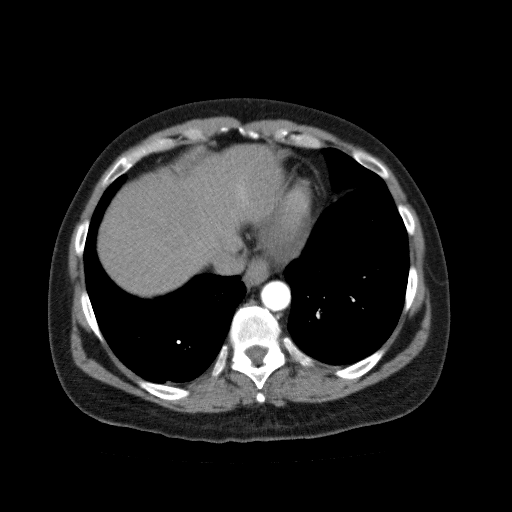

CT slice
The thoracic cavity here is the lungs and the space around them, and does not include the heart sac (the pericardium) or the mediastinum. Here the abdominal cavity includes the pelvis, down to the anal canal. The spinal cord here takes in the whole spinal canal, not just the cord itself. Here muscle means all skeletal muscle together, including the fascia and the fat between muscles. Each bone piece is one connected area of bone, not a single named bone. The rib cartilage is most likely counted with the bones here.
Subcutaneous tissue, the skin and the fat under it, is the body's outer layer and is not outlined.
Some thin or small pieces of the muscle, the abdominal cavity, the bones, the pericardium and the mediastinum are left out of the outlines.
Outlined structures:
torso: 226,97 289,101 349,120 387,146 417,184 435,220 445,256 450,331 437,384 413,411 384,423 310,439 211,443 170,438 98,421 81,411 64,392 49,347 48,280 56,236 80,183 102,150 139,120 179,104
abdominal cavity: 230,130 254,140 260,137 279,142 289,151 276,191 251,220 249,231 239,245 210,259 202,273 181,287 152,299 124,291 106,273 96,252 98,228 113,196 131,176 173,159 178,152 177,146 203,141
mediastinum 1: 243,240 275,264 287,265 283,271 291,294 290,312 286,324 287,333 283,333 278,319 263,306 245,304 235,311 246,293 246,287 238,274 222,275 213,272 203,273 204,268 210,260 222,252 230,251 238,247
mediastinum 2: 284,144 290,144 293,146 310,149 321,148 321,152 325,158 328,168 329,180 331,187 338,192 342,192 342,194 320,214 312,229 316,217 326,201 326,190 318,170 307,159 305,159 299,154 291,152 286,148
mediastinum 3: 176,147 177,149 177,152 173,158 163,163 160,163 157,165 152,166 147,169 144,169 143,170 138,171 128,177 126,180 126,178 127,177 126,173 138,161 139,161 142,158 152,153 163,152 164,151 171,150
spinal cord: 256,345 257,346 260,346 266,349 266,352 264,356 262,358 261,360 261,363 260,364 254,364 252,360 247,355 246,353 246,351 250,347 252,346 255,346
muscle 1: 214,116 231,116 243,123 262,119 287,119 299,124 321,128 365,150 354,149 350,155 335,147 325,146 321,139 312,134 290,132 285,127 277,128 272,134 273,139 261,137 257,131 246,129 241,125 237,127 237,130 222,125 219,128 219,132 207,138 200,128 188,127 181,132 181,135 191,141 178,145 177,140 173,137 158,137 121,156 102,179 101,185 105,189 90,219 85,218 77,225 74,236 74,252 78,257 83,259 85,282 85,288 80,292 79,302 84,317 94,335 101,343 106,342 117,358 141,378 136,381 141,388 163,400 172,401 187,397 190,391 179,386 180,384 194,380 211,367 210,375 212,377 218,376 224,370 229,357 230,369 246,375 257,389 255,400 262,404 258,406 239,406 221,412 191,413 170,409 126,392 90,376 74,363 70,350 72,290 68,275 68,251 72,232 96,183 122,152 156,131 191,119
muscle 2: 373,155 392,171 422,228 424,280 431,306 428,339 420,352 399,370 343,397 323,402 290,401 285,406 263,403 264,384 275,370 286,364 285,351 302,366 313,366 314,359 344,366 334,371 339,378 361,377 384,355 386,349 381,347 396,327 402,311 407,312 413,303 418,272 410,264 408,235 415,233 415,220 405,204 395,203 384,180 390,174
bones 1: 245,305 267,309 277,319 282,333 313,360 311,366 302,365 285,350 285,364 275,369 263,384 262,403 256,400 255,383 246,374 231,369 229,356 223,370 216,376 211,375 221,347 227,341 233,316 with a hole at 256,345 257,346 260,346 266,349 266,352 264,356 262,358 261,360 261,363 260,364 254,364 252,360 247,355 246,353 246,351 250,347 252,346 255,346
bones 2: 158,138 173,138 175,139 177,142 177,145 175,147 163,151 157,151 156,152 149,153 138,160 126,172 118,176 106,187 104,187 102,185 102,181 105,176 112,168 114,164 121,157 127,155 137,148 150,143
bones 3: 380,348 384,348 385,349 385,351 383,355 373,367 372,367 367,372 361,376 357,378 347,379 346,378 342,378 341,377 339,377 335,374 335,371 336,370 338,369 341,369 348,365 356,363 360,360 369,356
bones 4: 139,379 143,379 150,382 158,383 159,384 165,384 169,386 182,387 185,389 187,389 189,391 189,394 187,396 179,399 173,399 172,400 163,399 158,396 156,396 148,392 145,389 141,387 137,383 137,381
bones 5: 280,128 285,128 290,133 298,133 299,134 304,133 312,135 321,140 324,143 324,146 319,148 310,148 309,147 303,147 302,146 293,145 290,143 287,136 284,138 283,142 277,141 274,139 273,134 277,129
bones 6: 354,150 361,150 362,151 365,151 369,153 376,159 377,159 386,168 389,174 389,176 388,178 386,179 384,179 382,178 378,174 377,174 372,170 365,167 363,165 359,163 353,157 351,156 351,154
bones 7: 84,289 85,289 87,292 87,294 88,295 88,297 89,298 89,300 90,301 98,327 105,340 104,342 101,342 95,335 91,329 83,312 83,310 81,306 81,303 80,302 80,296 81,295 81,292
bones 8: 410,265 413,265 415,267 416,271 417,272 417,287 416,288 415,295 413,298 412,303 409,309 407,311 403,311 404,303 405,302 405,294 406,293 406,288 407,287 407,282 408,281 408,275 409,274 409,267
bones 9: 85,219 88,219 89,220 89,224 88,225 87,233 86,234 86,237 85,238 85,243 84,244 84,247 83,248 83,253 82,254 82,256 78,256 75,252 75,236 76,235 76,232 77,231 78,225
bones 10: 400,203 401,204 405,205 408,208 408,209 410,211 413,217 413,219 414,220 414,224 415,226 414,227 414,233 412,235 409,235 408,234 407,230 406,229 406,227 404,224 404,222 397,208 397,205
bones 11: 188,128 198,128 199,129 200,129 202,131 203,134 205,136 205,139 204,139 203,140 202,139 201,140 190,140 189,139 188,139 186,137 183,136 182,135 182,132 184,130 185,130
bones 12: 239,126 241,126 242,127 243,127 246,130 253,130 254,131 255,131 256,132 257,132 259,134 259,137 256,139 254,139 253,138 251,138 250,137 247,137 246,136 244,136 243,135 242,135 238,131 238,127
thoracic cavity 1: 324,147 340,150 383,179 403,222 408,240 408,274 403,307 397,323 379,348 345,366 312,358 288,334 284,334 288,333 287,324 292,305 291,288 284,271 301,254 321,214 343,194 332,187 329,168 322,152
thoracic cavity 2: 125,173 125,180 103,212 95,237 97,259 119,288 140,299 152,300 181,288 204,273 238,275 245,287 244,296 234,310 226,341 212,366 178,386 144,379 118,358 99,327 86,289 83,254 90,220 106,188
pericardium: 291,153 301,156 305,160 307,160 317,170 325,190 325,201 315,217 307,240 299,254 294,257 288,264 277,264 252,247 244,240 244,238 247,233 250,231 250,223 252,220 277,191 283,177 284,161 288,154